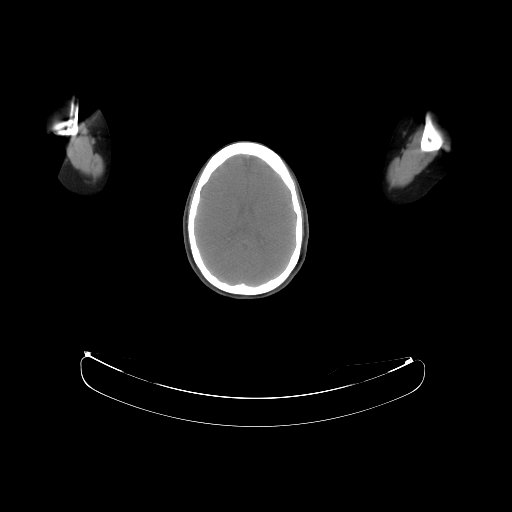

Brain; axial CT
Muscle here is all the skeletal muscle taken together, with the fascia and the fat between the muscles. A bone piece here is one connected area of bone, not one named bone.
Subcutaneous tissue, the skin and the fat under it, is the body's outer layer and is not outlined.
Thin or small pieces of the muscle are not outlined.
{"head":[[[238,140],[261,142],[269,146],[288,162],[295,172],[301,186],[309,219],[307,253],[301,269],[284,289],[270,297],[257,300],[226,298],[214,293],[204,286],[196,277],[187,261],[182,237],[182,214],[184,204],[196,173],[202,164],[216,150],[225,144]]],"right_arm":[[[60,93],[76,93],[91,99],[102,110],[109,128],[111,147],[112,148],[111,173],[109,181],[105,189],[100,194],[94,197],[88,198],[80,197],[65,189],[57,180],[56,174],[52,166],[46,142],[42,133],[42,129],[40,125],[40,119],[53,100]]],"brain":[[[237,155],[256,157],[263,161],[279,176],[289,192],[291,208],[295,215],[293,232],[294,244],[284,267],[276,275],[257,284],[248,284],[245,282],[230,283],[220,279],[205,263],[197,243],[195,233],[195,220],[201,200],[202,188],[218,167],[229,158]]],"muscle":[[[69,103],[68,117],[57,122],[53,129],[60,136],[75,137],[79,130],[78,126],[79,105],[75,103],[78,103],[86,110],[93,120],[93,128],[103,150],[101,156],[105,169],[102,176],[96,181],[80,175],[65,162],[65,158],[56,150],[54,145],[49,127],[56,114]],{"outer":[[428,111],[433,115],[440,127],[445,132],[450,142],[449,147],[447,150],[439,152],[427,166],[420,173],[415,176],[414,179],[409,184],[404,187],[390,188],[386,179],[388,166],[404,145],[407,135],[406,134],[411,132],[414,129],[420,116],[425,114]],"hole":[[428,113],[430,115],[430,117],[434,127],[440,133],[442,137],[443,142],[441,147],[438,150],[434,150],[429,152],[423,152],[420,149],[420,141],[421,140],[421,137],[423,132],[423,128],[425,124],[425,117]]},[[291,173],[296,182],[296,184],[298,188],[298,192],[299,193],[300,200],[301,201],[301,204],[302,205],[303,211],[304,212],[304,236],[303,237],[303,242],[303,214],[301,209],[301,205],[299,201],[299,197],[296,190],[295,181],[292,177]],[[196,181],[196,184],[193,189],[193,192],[192,193],[192,195],[191,196],[191,198],[189,202],[189,207],[188,208],[188,210],[187,212],[187,208],[189,205],[189,201],[190,200],[191,193],[193,190],[193,188],[194,187],[194,185]]],"bones":[{"outer":[[238,141],[252,141],[263,144],[271,148],[282,158],[294,181],[295,190],[302,214],[302,244],[299,259],[295,267],[280,285],[270,291],[254,295],[226,292],[211,284],[203,276],[194,262],[187,233],[187,215],[190,202],[202,169],[215,152],[228,144]],"hole":[[237,155],[256,157],[263,161],[279,176],[289,192],[291,208],[295,215],[293,232],[294,244],[284,267],[276,275],[257,284],[248,284],[245,282],[230,283],[220,279],[205,263],[197,243],[195,233],[195,220],[201,200],[202,188],[218,167],[229,158]]},[[428,113],[430,115],[430,117],[434,127],[440,133],[442,137],[443,142],[441,147],[438,150],[434,150],[429,152],[423,152],[420,149],[420,141],[421,140],[421,137],[423,132],[423,128],[425,124],[425,117]],[[72,101],[75,104],[78,105],[78,118],[77,119],[77,126],[78,127],[78,130],[77,131],[77,133],[75,136],[71,136],[70,135],[60,135],[58,134],[57,132],[54,129],[54,126],[57,123],[62,122],[66,120],[69,117],[70,104]]],"left_arm":[[[453,100],[455,100],[459,104],[465,115],[467,116],[467,118],[466,116],[463,121],[459,154],[450,173],[416,205],[404,209],[391,206],[385,201],[382,196],[380,191],[379,178],[382,163],[392,133],[398,120],[404,112],[416,104],[422,102],[449,104]]]}